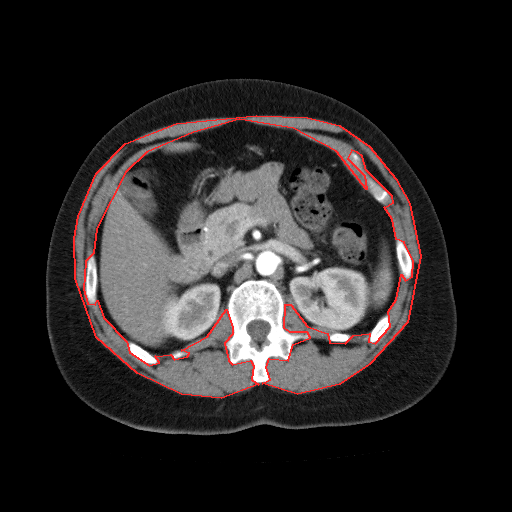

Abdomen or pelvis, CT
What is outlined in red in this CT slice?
red: muscle.
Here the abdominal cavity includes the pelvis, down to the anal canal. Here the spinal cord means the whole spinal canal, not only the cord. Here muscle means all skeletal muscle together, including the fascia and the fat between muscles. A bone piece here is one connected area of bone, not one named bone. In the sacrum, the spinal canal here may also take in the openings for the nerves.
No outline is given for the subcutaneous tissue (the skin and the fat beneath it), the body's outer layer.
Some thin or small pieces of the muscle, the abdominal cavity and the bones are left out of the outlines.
The muscle is outlined by (256, 115) (307, 117) (339, 125) (369, 146) (395, 178) (409, 203) (420, 256) (407, 322) (369, 364) (339, 384) (297, 394) (262, 383) (270, 379) (266, 367) (269, 358) (288, 360) (293, 344) (310, 337) (307, 332) (290, 332) (284, 328) (285, 304) (290, 304) (307, 326) (327, 333) (329, 342) (345, 343) (353, 335) (369, 333) (368, 341) (375, 343) (390, 326) (388, 311) (396, 299) (401, 274) (405, 280) (412, 276) (413, 261) (404, 242) (396, 239) (392, 219) (384, 207) (393, 202) (392, 196) (366, 170) (362, 156) (357, 152) (351, 150) (347, 158) (364, 175) (366, 189) (336, 151) (293, 128) (239, 119) (193, 132) (146, 152) (125, 172) (96, 228) (93, 253) (85, 261) (83, 289) (87, 303) (95, 304) (97, 300) (103, 317) (126, 341) (129, 352) (149, 365) (159, 362) (155, 356) (170, 354) (174, 359) (187, 356) (189, 353) (181, 350) (207, 336) (226, 309) (232, 327) (232, 334) (224, 343) (228, 360) (232, 364) (250, 360) (253, 365) (251, 379) (258, 384) (221, 398) (181, 394) (137, 373) (96, 337) (75, 278) (74, 238) (78, 216) (96, 173) (125, 143) (176, 123). The bones appear in 6 outlined pieces: piece 1: (251, 279) (267, 280) (279, 290) (284, 300) (282, 326) (286, 331) (309, 334) (306, 339) (300, 338) (292, 344) (288, 359) (271, 356) (266, 360) (269, 379) (261, 383) (252, 379) (253, 362) (246, 359) (232, 363) (225, 347) (233, 334) (227, 313) (228, 298) (235, 287) with a hole at (254, 320) (261, 320) (262, 321) (265, 321) (269, 324) (270, 327) (269, 328) (269, 331) (265, 336) (265, 339) (267, 342) (264, 341) (260, 343) (255, 342) (252, 344) (252, 343) (254, 342) (252, 339) (252, 337) (249, 334) (247, 330) (247, 325) (250, 322); piece 2: (351, 151) (357, 153) (361, 157) (362, 159) (362, 163) (365, 170) (389, 193) (392, 199) (392, 202) (391, 203) (387, 205) (383, 205) (380, 203) (369, 191) (366, 182) (366, 177) (365, 175) (362, 171) (357, 169) (351, 163) (350, 160) (348, 158) (348, 154); piece 3: (91, 254) (93, 254) (94, 258) (95, 259) (95, 263) (96, 264) (96, 272) (97, 273) (97, 285) (96, 286) (96, 302) (95, 303) (89, 304) (87, 301) (86, 296) (84, 293) (84, 289) (85, 288) (85, 279) (86, 278) (86, 261) (87, 260) (88, 256); piece 4: (397, 239) (400, 239) (403, 242) (403, 243) (405, 245) (409, 253) (409, 255) (412, 261) (412, 274) (411, 276) (408, 279) (405, 279) (403, 278) (403, 276) (400, 270) (400, 267) (399, 266) (399, 263) (398, 262) (398, 259) (397, 258) (397, 255) (396, 254) (396, 240); piece 5: (127, 342) (133, 342) (137, 345) (140, 346) (142, 348) (143, 348) (145, 350) (149, 352) (152, 355) (153, 355) (157, 359) (158, 362) (156, 364) (149, 364) (148, 363) (145, 363) (144, 362) (142, 362) (138, 360) (130, 352) (130, 351) (128, 349) (127, 347); piece 6: (386, 314) (387, 314) (390, 318) (390, 323) (389, 324) (389, 326) (387, 330) (385, 332) (385, 333) (377, 341) (375, 342) (370, 342) (369, 341) (369, 335) (370, 334) (370, 332) (371, 330) (374, 327) (374, 326) (376, 324) (378, 320) (381, 317) (382, 317). The spinal cord is outlined by (254, 320) (261, 320) (262, 321) (265, 321) (269, 324) (270, 327) (269, 328) (269, 331) (265, 336) (265, 339) (267, 342) (264, 341) (260, 343) (255, 342) (252, 344) (252, 343) (254, 342) (252, 339) (252, 337) (249, 334) (247, 330) (247, 325) (250, 322). The torso is outlined by (224, 78) (285, 82) (349, 105) (391, 140) (424, 186) (447, 247) (457, 338) (445, 374) (411, 407) (345, 426) (290, 429) (262, 424) (224, 434) (172, 434) (136, 429) (97, 412) (60, 375) (47, 333) (45, 273) (54, 222) (74, 175) (100, 138) (131, 112) (182, 87). The abdominal cavity is outlined by (239, 120) (293, 129) (338, 154) (391, 219) (400, 271) (395, 299) (369, 332) (328, 333) (307, 325) (285, 303) (273, 282) (246, 279) (231, 290) (226, 308) (207, 335) (171, 354) (154, 355) (123, 338) (102, 313) (93, 247) (97, 228) (110, 198) (138, 158) (168, 142).